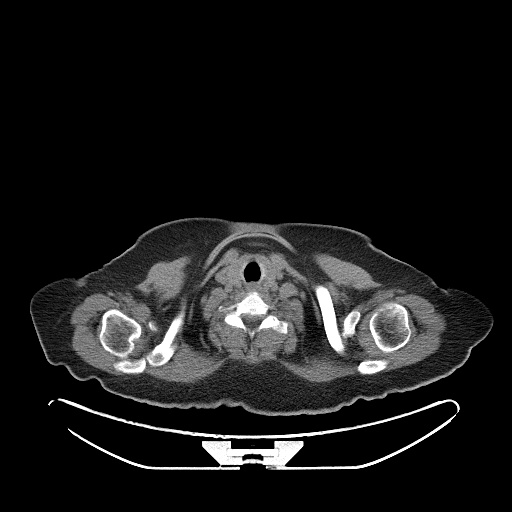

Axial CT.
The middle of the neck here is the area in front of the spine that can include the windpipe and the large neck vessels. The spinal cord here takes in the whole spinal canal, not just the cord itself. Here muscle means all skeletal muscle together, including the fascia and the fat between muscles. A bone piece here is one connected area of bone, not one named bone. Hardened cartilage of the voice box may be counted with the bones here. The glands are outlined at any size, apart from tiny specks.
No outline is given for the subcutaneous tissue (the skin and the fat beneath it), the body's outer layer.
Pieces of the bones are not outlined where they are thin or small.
{"bones":[[[183,301],[184,323],[174,340],[176,348],[167,362],[159,366],[147,364],[144,371],[137,374],[126,374],[113,366],[120,358],[105,350],[99,339],[101,317],[105,311],[117,309],[141,326],[141,334],[134,342],[135,347],[130,356],[137,358],[161,341]],[[386,302],[396,302],[399,304],[401,304],[407,309],[409,313],[409,325],[411,330],[411,334],[410,335],[409,340],[403,346],[400,347],[398,349],[396,349],[390,352],[384,352],[379,349],[376,346],[369,329],[369,320],[372,315],[372,313],[377,308]],{"outer":[[250,291],[258,292],[262,299],[274,308],[271,311],[280,320],[285,320],[291,324],[291,326],[288,328],[287,333],[280,333],[272,328],[263,328],[251,338],[241,328],[231,326],[224,322],[225,313],[219,310],[219,306],[229,306],[238,302]],"hole":[[243,314],[249,314],[252,316],[253,316],[254,315],[258,315],[259,316],[261,316],[262,317],[262,318],[261,319],[261,320],[259,322],[259,323],[257,326],[256,326],[253,328],[250,328],[249,327],[248,327],[244,322],[244,321],[241,316]]},[[317,283],[320,283],[327,288],[332,300],[337,325],[340,329],[343,325],[345,317],[350,311],[354,309],[357,310],[360,314],[359,320],[355,326],[355,333],[352,336],[343,339],[345,346],[344,355],[338,354],[332,348],[326,336],[321,310],[313,288]],[[381,358],[383,358],[384,359],[387,359],[388,360],[388,363],[386,367],[382,370],[378,372],[373,373],[372,374],[365,374],[364,375],[362,374],[360,374],[358,372],[357,370],[357,366],[358,364],[361,361],[365,359],[380,359]]],"muscle":[{"outer":[[231,247],[292,258],[324,252],[352,262],[388,288],[431,302],[447,322],[442,342],[415,363],[381,371],[387,358],[365,358],[359,374],[327,382],[311,382],[273,361],[228,361],[194,383],[166,381],[132,375],[173,356],[185,323],[183,300],[160,341],[137,357],[131,356],[142,326],[117,308],[105,310],[98,339],[125,374],[96,368],[70,345],[69,318],[78,303],[93,293],[131,291],[160,260],[190,255],[194,278]],"holes":[[[248,258],[268,263],[279,275],[272,289],[259,293],[262,299],[274,308],[271,311],[280,320],[291,324],[287,333],[263,328],[251,338],[241,328],[224,322],[225,313],[219,310],[219,306],[238,302],[247,293],[231,289],[222,283],[220,276],[231,265]],[[386,302],[396,302],[399,304],[401,304],[407,309],[409,313],[409,325],[411,330],[411,334],[410,335],[409,340],[403,346],[400,347],[398,349],[396,349],[390,352],[384,352],[379,349],[376,346],[369,329],[369,320],[372,315],[372,313],[377,308]],[[317,283],[320,283],[327,288],[332,300],[337,325],[340,329],[343,325],[345,317],[350,311],[354,309],[357,310],[360,314],[359,320],[355,326],[355,333],[352,336],[343,339],[345,346],[344,355],[338,354],[332,348],[326,336],[321,310],[313,288]],[[150,320],[151,320],[152,321],[153,321],[154,322],[154,323],[155,324],[155,325],[157,327],[157,329],[155,331],[154,331],[153,330],[152,330],[151,329],[150,329],[150,328],[148,326],[148,322]]]}],"thyroid_glands":[[[236,263],[240,263],[239,264],[239,268],[240,269],[240,271],[239,272],[239,283],[240,284],[238,286],[236,285],[234,285],[230,283],[230,282],[228,280],[228,278],[227,277],[227,274],[226,273],[226,270],[227,268],[231,265],[233,264],[235,264]],[[264,263],[268,263],[271,266],[272,266],[275,269],[275,271],[276,272],[276,273],[275,274],[275,278],[273,280],[273,281],[272,282],[272,283],[270,285],[269,285],[268,286],[266,286],[266,283],[267,282],[267,273],[266,272],[266,266]]],"right_arm":[[[108,261],[131,274],[142,285],[153,314],[153,334],[148,344],[141,351],[131,356],[116,370],[102,380],[79,380],[71,375],[63,365],[53,365],[46,359],[32,322],[29,311],[29,303],[33,294],[44,285],[67,276],[81,276],[99,268]]],"middle_of_the_neck":[[[248,258],[256,258],[263,262],[266,273],[266,287],[273,283],[277,273],[279,275],[279,279],[272,289],[261,292],[256,290],[250,290],[246,292],[243,290],[231,289],[222,283],[220,276],[225,273],[229,283],[238,287],[241,284],[240,264],[242,261]]],"left_arm":[[[393,257],[423,271],[441,287],[453,286],[474,294],[490,308],[493,314],[493,325],[490,331],[471,349],[467,359],[461,366],[456,368],[445,377],[403,392],[400,392],[384,384],[369,372],[357,359],[343,336],[336,329],[337,317],[346,298],[360,283]]],"torso":[[[195,216],[331,224],[369,236],[378,248],[392,257],[345,298],[335,329],[369,373],[399,392],[383,398],[360,398],[329,413],[263,415],[240,406],[161,407],[104,389],[99,382],[141,352],[154,334],[154,314],[143,285],[131,273],[109,261],[147,229]]],"spinal_cord":[[[243,314],[249,314],[252,316],[253,316],[254,315],[258,315],[259,316],[261,316],[262,317],[262,318],[261,319],[261,320],[259,322],[259,323],[257,326],[256,326],[253,328],[250,328],[249,327],[248,327],[244,322],[244,321],[241,316]]]}